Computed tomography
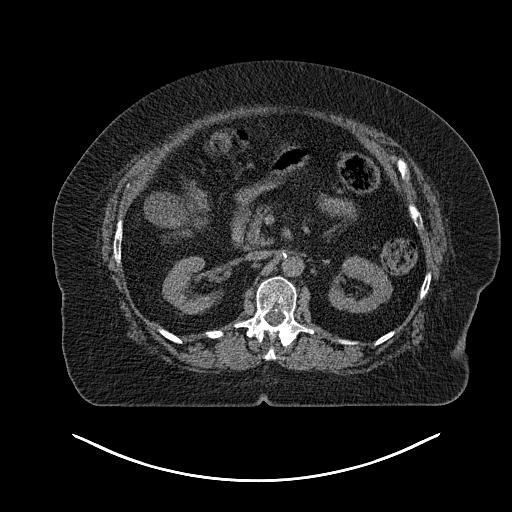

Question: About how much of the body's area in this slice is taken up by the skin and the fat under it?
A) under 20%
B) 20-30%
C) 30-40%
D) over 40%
Answer: D) over 40%
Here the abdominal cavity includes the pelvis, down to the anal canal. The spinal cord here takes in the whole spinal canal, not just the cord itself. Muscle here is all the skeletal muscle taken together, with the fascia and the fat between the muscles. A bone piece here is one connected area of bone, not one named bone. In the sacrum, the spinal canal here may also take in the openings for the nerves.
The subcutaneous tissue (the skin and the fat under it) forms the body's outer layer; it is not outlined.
Outlined structures:
muscle: [[256,104],[261,104],[264,106],[291,105],[306,108],[314,108],[327,113],[331,112],[334,114],[342,114],[345,117],[364,122],[367,125],[373,126],[376,129],[390,136],[407,151],[421,169],[425,178],[431,185],[431,189],[437,198],[447,238],[447,249],[444,253],[443,262],[440,266],[440,277],[433,286],[432,293],[426,302],[426,314],[424,321],[424,329],[422,332],[423,338],[417,345],[415,345],[412,348],[406,349],[397,356],[389,359],[385,363],[369,371],[363,373],[340,375],[314,370],[293,370],[283,367],[275,361],[267,361],[253,368],[245,370],[225,370],[219,373],[195,372],[182,369],[166,362],[156,354],[150,353],[141,344],[136,343],[126,335],[129,323],[126,320],[124,313],[120,308],[120,294],[114,281],[110,276],[110,272],[106,264],[103,262],[101,255],[102,238],[100,229],[102,226],[105,214],[105,207],[108,199],[114,191],[119,180],[136,159],[154,147],[158,146],[168,137],[169,134],[172,134],[194,119],[200,118],[205,115],[219,112],[222,110],[231,109],[238,106],[254,106]]; inner edges: [[270,113],[304,114],[352,132],[379,159],[405,203],[413,203],[421,214],[423,229],[418,233],[425,271],[431,272],[428,291],[423,299],[415,299],[407,315],[394,328],[394,334],[376,346],[372,346],[372,341],[352,345],[332,341],[339,336],[312,321],[311,295],[306,286],[297,293],[294,319],[312,328],[314,333],[302,331],[287,346],[267,335],[258,342],[254,337],[247,337],[245,328],[233,326],[255,313],[252,286],[243,293],[238,315],[218,328],[224,333],[221,337],[191,333],[181,335],[183,342],[178,344],[163,336],[157,329],[160,325],[140,311],[128,288],[123,268],[115,262],[116,223],[118,219],[125,220],[135,197],[152,180],[168,153],[196,130],[226,120]], then [[397,158],[402,158],[407,163],[407,166],[409,169],[409,172],[410,173],[410,180],[408,183],[406,183],[403,180],[402,180],[400,178],[400,175],[399,174],[399,173],[398,172],[398,171],[396,168],[396,166],[395,165],[395,161]], then [[271,346],[272,346],[273,347],[273,349],[274,350],[274,352],[275,353],[275,354],[276,355],[276,356],[277,357],[277,358],[275,360],[265,360],[263,358],[263,356],[268,351],[268,350],[269,349],[269,348]]
spinal cord: [[270,311],[273,311],[274,312],[278,312],[279,311],[280,312],[281,312],[282,313],[282,314],[284,316],[284,317],[283,318],[283,319],[281,321],[281,322],[280,322],[278,324],[277,324],[276,325],[272,325],[271,324],[270,324],[265,319],[265,315]]
torso: [[265,58],[338,66],[393,85],[439,114],[477,157],[496,202],[501,253],[467,332],[469,377],[455,400],[437,406],[124,407],[94,405],[75,389],[62,353],[61,292],[51,254],[53,208],[64,180],[98,134],[147,93],[204,68]]
abdominal cavity: [[270,113],[304,114],[352,132],[379,159],[407,205],[425,273],[404,319],[373,341],[339,337],[314,323],[309,289],[298,292],[279,274],[260,281],[254,292],[247,288],[231,321],[180,336],[145,316],[130,293],[122,267],[124,221],[163,159],[196,130]]
bones 1: [[277,275],[286,278],[296,288],[298,296],[294,319],[314,330],[312,334],[300,332],[287,346],[282,345],[278,338],[271,340],[267,335],[261,342],[258,342],[254,337],[247,337],[245,328],[233,326],[234,323],[254,315],[255,292],[258,285],[266,278]], around a hole outlined by [[270,311],[273,311],[274,312],[278,312],[279,311],[280,312],[281,312],[282,313],[282,314],[284,316],[284,317],[283,318],[283,319],[281,321],[281,322],[280,322],[278,324],[277,324],[276,325],[272,325],[271,324],[270,324],[265,319],[265,315]]
bones 2: [[118,219],[121,219],[123,222],[123,232],[122,233],[122,239],[121,240],[121,266],[118,266],[116,264],[116,263],[115,262],[115,260],[113,257],[113,240],[114,239],[114,234],[115,233],[115,231],[116,230],[116,223],[117,222],[117,221],[118,220]]
bones 3: [[410,202],[411,202],[414,204],[414,205],[417,208],[417,209],[421,214],[421,216],[422,217],[422,219],[423,220],[423,229],[420,232],[419,232],[418,231],[418,230],[417,229],[416,226],[414,224],[414,222],[413,221],[413,220],[408,211],[408,204]]
bones 4: [[397,158],[402,158],[407,163],[407,166],[409,169],[409,172],[410,173],[410,180],[408,183],[406,183],[403,180],[402,180],[400,178],[400,175],[399,174],[399,173],[398,172],[398,171],[396,168],[396,166],[395,165],[395,161]]
bones 5: [[427,271],[430,271],[431,272],[431,280],[430,281],[430,284],[429,285],[429,288],[428,289],[428,291],[425,297],[423,299],[420,300],[418,299],[418,295],[420,291],[420,288],[421,287],[421,285],[422,284],[422,282],[423,281],[424,276]]
bones 6: [[159,326],[161,326],[166,330],[167,330],[168,331],[171,332],[173,334],[178,336],[183,341],[183,342],[181,344],[178,344],[177,343],[175,343],[174,342],[173,342],[172,341],[167,339],[164,336],[163,336],[158,331],[158,330],[157,329]]
bones 7: [[394,329],[395,332],[394,333],[394,334],[390,338],[389,338],[384,342],[383,342],[382,343],[381,343],[376,346],[372,346],[372,345],[373,344],[373,342],[376,339],[377,339],[382,335],[385,334],[387,332],[388,332],[391,330],[393,330]]
bones 8: [[217,329],[220,329],[222,331],[223,331],[223,332],[224,333],[224,334],[221,337],[219,337],[218,338],[210,338],[209,337],[207,337],[206,336],[205,336],[204,335],[202,335],[202,334],[201,333],[202,333],[204,331],[207,331],[208,330],[216,330]]
bones 9: [[337,338],[343,338],[344,339],[348,339],[349,340],[356,340],[357,341],[358,341],[358,343],[357,343],[356,344],[353,344],[352,345],[349,345],[348,344],[339,344],[338,343],[337,343],[336,342],[334,342],[333,341],[332,341],[332,339],[336,339]]
bones 10: [[271,346],[272,346],[273,347],[273,349],[274,350],[274,352],[275,353],[275,354],[276,355],[276,356],[277,357],[277,358],[275,360],[265,360],[263,358],[263,356],[268,351],[268,350],[269,349],[269,348]]